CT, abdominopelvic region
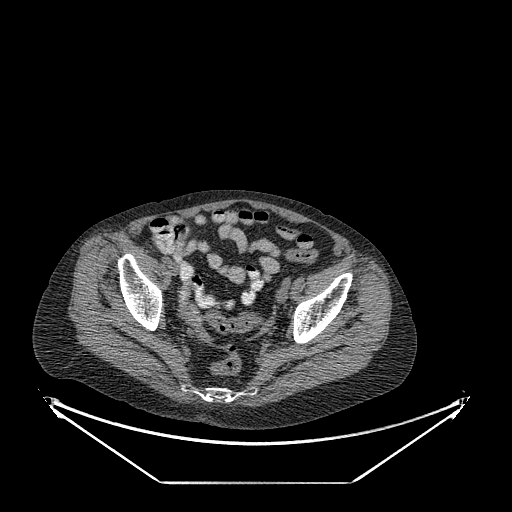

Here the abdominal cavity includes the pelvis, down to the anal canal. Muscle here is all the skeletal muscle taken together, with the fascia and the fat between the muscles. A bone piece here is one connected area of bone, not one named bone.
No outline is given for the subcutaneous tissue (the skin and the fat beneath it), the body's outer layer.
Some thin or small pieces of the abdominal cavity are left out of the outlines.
The abdominal cavity is outlined by 239 202; 269 209; 293 223; 317 226; 333 240; 331 248; 338 259; 291 281; 289 294; 295 307; 285 339; 257 361; 255 374; 244 385; 203 387; 190 359; 164 330; 163 298; 172 274; 133 238; 155 217; 177 214; 189 218; 202 210. The bones appear in 3 outlined pieces: piece 1: 348 271; 350 271; 353 274; 353 277; 352 278; 351 285; 347 294; 347 297; 339 312; 324 329; 316 336; 305 343; 297 343; 293 339; 293 334; 292 333; 292 330; 293 329; 293 314; 296 306; 300 302; 314 297; 325 289; 335 277; piece 2: 126 253; 130 253; 134 256; 140 270; 152 282; 156 284; 162 292; 162 298; 163 299; 162 309; 158 325; 154 331; 151 331; 145 328; 132 316; 125 304; 125 301; 121 293; 119 286; 117 259; 120 256; piece 3: 184 383; 195 386; 201 390; 205 387; 214 386; 226 387; 239 391; 250 386; 255 386; 258 388; 258 391; 256 394; 252 396; 241 395; 228 403; 226 403; 223 399; 215 399; 211 402; 208 402; 195 393; 183 392; 181 390; 181 384. The muscle is outlined by 235 198; 247 198; 263 201; 290 209; 307 216; 345 237; 355 249; 363 254; 374 257; 377 263; 383 268; 388 276; 392 297; 392 310; 389 322; 389 332; 384 345; 374 353; 366 367; 349 376; 297 392; 278 401; 271 402; 261 406; 232 407; 224 404; 203 405; 191 403; 180 403; 174 401; 170 398; 158 393; 132 376; 126 374; 124 371; 112 366; 108 362; 85 351; 76 342; 72 325; 66 318; 66 310; 67 306; 69 304; 70 294; 72 289; 73 271; 75 263; 79 255; 79 249; 86 238; 89 237; 93 233; 96 233; 102 229; 107 228; 117 229; 125 225; 128 222; 140 217; 148 216; 168 210; 183 209; 198 204, around a hole outlined by 239 202; 269 209; 293 223; 311 223; 333 240; 335 263; 291 281; 294 305; 314 297; 340 274; 350 271; 353 277; 339 312; 307 342; 293 339; 291 316; 285 339; 234 389; 255 386; 256 394; 228 403; 208 402; 181 390; 184 383; 201 390; 203 386; 190 359; 164 330; 164 305; 154 331; 130 313; 119 286; 117 259; 132 254; 163 298; 172 274; 133 238; 155 217; 189 218. The torso is outlined by 209 189; 255 190; 307 203; 351 226; 379 249; 404 291; 417 334; 415 359; 400 385; 311 421; 279 428; 248 430; 159 416; 106 396; 79 381; 53 377; 41 368; 34 355; 31 340; 35 311; 54 268; 79 235; 96 222; 137 205.